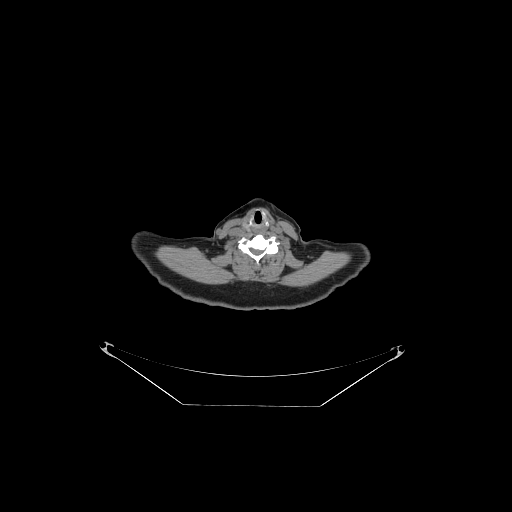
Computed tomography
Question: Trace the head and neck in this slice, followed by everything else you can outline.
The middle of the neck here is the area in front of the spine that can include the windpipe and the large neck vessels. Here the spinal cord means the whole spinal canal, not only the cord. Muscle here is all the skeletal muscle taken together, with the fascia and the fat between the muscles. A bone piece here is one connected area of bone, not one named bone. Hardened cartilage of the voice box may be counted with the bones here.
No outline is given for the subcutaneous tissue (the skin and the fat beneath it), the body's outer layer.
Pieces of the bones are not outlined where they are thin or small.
Answer: {"head_and_neck":[[[258,195],[263,195],[267,197],[281,210],[291,216],[298,223],[301,229],[301,235],[305,240],[313,239],[311,249],[304,265],[295,269],[281,280],[265,285],[245,284],[231,271],[215,264],[209,258],[203,238],[203,236],[211,236],[217,223],[226,215]]],"muscle":[{"outer":[[253,206],[267,207],[274,215],[288,221],[294,227],[297,243],[304,252],[348,250],[355,253],[352,261],[327,278],[302,288],[250,281],[210,285],[177,274],[154,256],[153,251],[157,246],[168,244],[209,248],[216,242],[218,230],[228,220],[241,217]],"holes":[[[258,233],[262,234],[265,237],[268,237],[274,235],[276,237],[276,239],[279,242],[277,252],[272,254],[266,254],[260,260],[258,266],[255,263],[255,261],[250,256],[245,253],[243,253],[238,248],[238,240],[240,238],[242,237],[250,238]],[[255,210],[260,210],[261,211],[263,211],[265,213],[265,218],[266,220],[268,221],[268,227],[267,229],[264,229],[262,231],[255,231],[253,229],[251,229],[251,225],[249,223],[249,219],[251,217],[251,216],[253,214]]]}],"bones":[{"outer":[[258,233],[262,234],[265,237],[268,237],[274,235],[276,237],[276,239],[279,242],[277,252],[272,254],[266,254],[260,260],[258,266],[255,263],[255,261],[250,256],[245,253],[243,253],[238,248],[238,240],[240,238],[242,237],[250,238]],"hole":[[251,249],[252,249],[253,249],[254,249],[255,249],[256,250],[257,250],[258,250],[259,250],[260,250],[261,250],[262,251],[261,252],[260,253],[259,254],[258,254],[257,254],[256,254],[255,254],[254,253],[253,253],[252,252],[251,251],[251,250]]}],"spinal_cord":[[[251,249],[252,249],[253,249],[254,249],[255,249],[256,250],[257,250],[258,250],[259,250],[260,250],[261,250],[262,251],[261,252],[260,253],[259,254],[258,254],[257,254],[256,254],[255,254],[254,253],[253,253],[252,252],[251,251],[251,250]]],"torso":[[[138,230],[149,230],[174,238],[202,236],[208,258],[215,265],[231,272],[245,285],[275,284],[304,266],[316,238],[334,242],[363,242],[371,251],[371,261],[357,277],[325,299],[311,305],[291,310],[236,310],[186,300],[159,285],[130,250],[130,238]]],"middle_of_the_neck":[[[255,210],[260,210],[262,212],[262,217],[264,219],[265,218],[265,217],[265,218],[266,219],[264,221],[264,223],[266,226],[268,226],[267,229],[264,229],[262,231],[255,231],[253,229],[251,229],[251,224],[252,223],[252,220],[254,218],[253,213]]]}